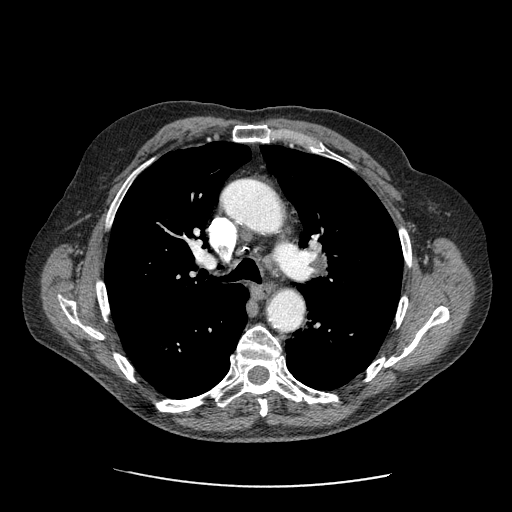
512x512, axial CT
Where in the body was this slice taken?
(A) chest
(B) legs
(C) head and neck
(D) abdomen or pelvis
Answer: (A) chest
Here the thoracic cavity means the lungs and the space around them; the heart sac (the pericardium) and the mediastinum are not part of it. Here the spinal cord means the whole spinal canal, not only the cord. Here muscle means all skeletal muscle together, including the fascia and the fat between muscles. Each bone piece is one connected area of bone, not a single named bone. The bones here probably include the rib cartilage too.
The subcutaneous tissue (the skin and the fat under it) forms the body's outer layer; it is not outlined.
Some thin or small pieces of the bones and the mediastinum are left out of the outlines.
The bones appear in 9 outlined pieces: piece 1: [[259,323],[279,339],[286,367],[298,381],[335,393],[340,402],[296,402],[270,390],[264,395],[264,416],[259,413],[257,396],[250,392],[224,407],[206,398],[190,410],[172,413],[156,409],[153,399],[186,399],[215,386],[228,372],[230,355],[241,335]], around a hole outlined by [[256,366],[261,366],[262,367],[265,368],[268,371],[268,377],[267,378],[267,379],[263,383],[261,383],[260,384],[257,384],[256,383],[253,383],[249,379],[249,378],[248,377],[248,373],[249,372],[249,371],[251,369],[252,369],[254,367],[255,367]]; piece 2: [[249,123],[256,125],[266,124],[271,128],[286,128],[313,137],[333,152],[349,160],[356,167],[357,170],[355,171],[344,164],[328,157],[306,151],[303,148],[288,141],[272,140],[270,143],[241,143],[232,141],[231,132],[233,127],[235,125],[244,125]]; piece 3: [[440,305],[447,307],[449,310],[450,315],[448,320],[430,327],[424,333],[411,352],[398,360],[393,365],[388,367],[382,367],[369,381],[362,382],[365,370],[375,359],[383,355],[386,357],[398,356],[404,348],[412,341],[417,331],[430,317],[435,308]]; piece 4: [[154,155],[155,155],[157,158],[137,175],[128,188],[115,213],[115,215],[113,219],[113,222],[110,230],[109,231],[106,231],[105,230],[105,219],[106,218],[106,215],[107,214],[108,209],[119,188],[122,185],[128,175],[134,169],[135,169],[140,164]]; piece 5: [[58,294],[60,294],[63,297],[67,299],[73,300],[76,304],[76,311],[79,320],[84,325],[90,326],[102,333],[105,336],[105,339],[103,340],[96,339],[85,332],[78,325],[72,323],[68,319],[60,306],[59,300],[57,297]]; piece 6: [[97,278],[101,278],[105,284],[105,288],[107,294],[107,299],[108,300],[109,308],[110,309],[110,315],[109,316],[109,321],[108,322],[105,322],[104,321],[98,304],[98,300],[96,294],[96,289],[95,288],[95,282]]; piece 7: [[113,351],[116,351],[124,355],[127,358],[129,362],[133,366],[136,372],[136,376],[138,379],[138,384],[135,384],[134,383],[132,383],[125,377],[124,374],[118,367],[116,362],[113,358],[113,356],[112,355],[112,352]]; piece 8: [[399,225],[402,225],[404,226],[409,235],[409,239],[411,244],[411,261],[412,262],[412,265],[411,267],[409,268],[407,267],[404,263],[404,258],[403,257],[403,253],[402,252],[401,242],[399,238],[399,234],[397,229]]; piece 9: [[403,293],[405,293],[407,295],[408,298],[408,304],[403,319],[399,327],[395,330],[394,329],[394,325],[395,324],[394,323],[394,318],[395,317],[395,314],[397,310],[397,307],[398,306],[398,303],[400,297]]. The spinal cord is outlined by [[256,366],[261,366],[262,367],[265,368],[268,371],[268,377],[267,378],[267,379],[263,383],[261,383],[260,384],[257,384],[256,383],[253,383],[249,379],[249,378],[248,377],[248,373],[249,372],[249,371],[251,369],[252,369],[254,367],[255,367]]. The torso is outlined by [[182,99],[245,109],[301,105],[336,110],[390,136],[414,168],[465,197],[484,225],[493,288],[486,319],[464,353],[413,393],[350,429],[297,441],[227,443],[183,437],[146,422],[77,366],[38,343],[23,317],[24,263],[85,149],[116,119],[153,103]]. The thoracic cavity appears in 2 outlined pieces: piece 1: [[214,135],[245,144],[251,152],[250,159],[225,180],[204,230],[219,270],[231,283],[242,285],[248,291],[245,303],[247,321],[229,355],[225,375],[202,393],[170,398],[138,374],[125,355],[110,316],[104,281],[107,246],[116,213],[138,175],[167,152]]; piece 2: [[271,142],[288,142],[354,171],[384,206],[400,242],[401,294],[393,323],[376,358],[363,373],[331,391],[298,380],[286,363],[283,346],[302,329],[308,318],[298,285],[310,279],[312,267],[308,254],[299,244],[304,226],[298,210],[269,171],[260,147]]. The mediastinum is outlined by [[247,143],[260,144],[268,171],[275,176],[297,210],[303,226],[298,244],[310,261],[309,279],[297,285],[305,302],[307,318],[301,329],[283,345],[262,323],[245,329],[249,291],[242,284],[231,282],[220,270],[205,232],[226,180],[251,159],[252,152]]. The muscle appears in 2 outlined pieces: piece 1: [[268,118],[323,125],[366,151],[387,171],[413,207],[457,245],[474,275],[473,304],[462,329],[437,357],[405,374],[393,387],[368,399],[335,424],[309,428],[268,425],[260,421],[230,432],[179,425],[157,411],[172,414],[190,411],[205,404],[206,399],[224,408],[245,393],[256,396],[261,417],[268,413],[265,395],[270,391],[296,403],[340,403],[340,396],[332,391],[361,374],[361,382],[369,382],[382,368],[393,366],[411,353],[430,328],[448,321],[451,315],[447,306],[436,306],[398,355],[377,357],[390,328],[393,324],[395,331],[400,327],[408,308],[408,295],[401,290],[404,264],[409,269],[413,265],[410,235],[404,225],[395,225],[349,159],[301,131],[251,123]]; piece 2: [[198,115],[248,123],[235,124],[230,139],[214,134],[185,143],[159,157],[154,154],[127,175],[105,215],[104,230],[109,232],[109,236],[103,279],[97,277],[94,282],[101,317],[105,323],[111,318],[124,353],[113,350],[112,358],[132,384],[139,384],[137,374],[164,397],[151,400],[155,410],[126,384],[82,357],[56,331],[42,308],[40,278],[43,266],[56,246],[74,243],[89,231],[114,179],[143,144],[165,124]], around a hole outlined by [[58,294],[60,294],[63,297],[67,299],[73,300],[76,304],[76,311],[79,320],[84,325],[90,326],[102,333],[105,336],[105,339],[103,340],[96,339],[85,332],[78,325],[72,323],[68,319],[60,306],[59,300],[57,297]].